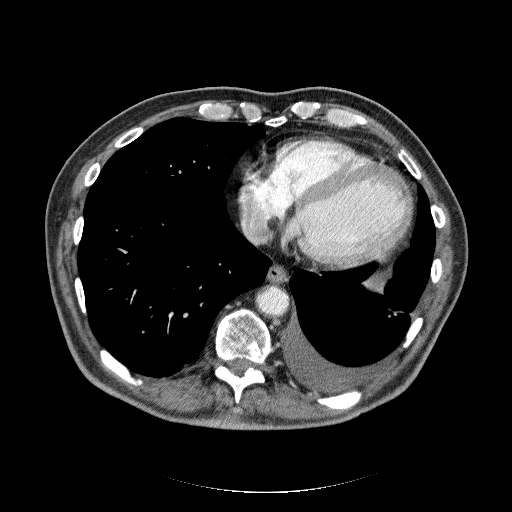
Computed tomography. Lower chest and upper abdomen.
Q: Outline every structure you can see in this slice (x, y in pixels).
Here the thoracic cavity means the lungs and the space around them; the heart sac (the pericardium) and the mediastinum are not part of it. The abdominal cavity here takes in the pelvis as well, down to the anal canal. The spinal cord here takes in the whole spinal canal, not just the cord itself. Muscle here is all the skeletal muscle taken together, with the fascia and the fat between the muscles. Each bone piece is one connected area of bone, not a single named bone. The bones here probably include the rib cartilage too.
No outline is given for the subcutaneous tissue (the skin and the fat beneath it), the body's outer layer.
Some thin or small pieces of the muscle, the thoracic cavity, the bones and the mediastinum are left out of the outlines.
A: Outlines:
pericardium: [[298,128],[367,140],[383,148],[394,160],[400,162],[414,187],[415,211],[409,231],[386,245],[373,259],[345,269],[315,269],[298,261],[294,256],[281,253],[275,247],[260,244],[249,238],[240,227],[236,215],[238,185],[252,160],[268,141],[288,130]]
bones 1: [[241,308],[247,308],[253,311],[265,322],[269,329],[275,349],[262,365],[265,382],[252,383],[246,386],[241,393],[239,403],[236,404],[234,393],[230,385],[216,377],[214,374],[214,366],[220,360],[216,356],[214,350],[213,338],[218,319],[225,314]] with a hole at [[237,358],[243,358],[244,359],[246,359],[250,361],[252,363],[253,363],[253,366],[250,366],[248,368],[247,368],[244,371],[242,375],[238,375],[234,373],[229,368],[228,366],[228,363],[230,361],[234,359],[236,359]]
bones 2: [[240,101],[246,101],[257,105],[262,111],[264,119],[281,114],[285,114],[288,118],[283,124],[275,127],[266,125],[262,121],[253,123],[247,122],[241,115],[237,118],[227,120],[207,120],[197,113],[197,108],[201,104],[207,102],[219,102],[236,106]]
bones 3: [[302,100],[303,101],[319,101],[323,104],[324,107],[337,107],[341,109],[345,109],[353,113],[359,114],[363,116],[369,122],[367,125],[346,128],[330,124],[324,120],[320,119],[318,116],[306,119],[302,119],[290,112],[288,109],[289,106],[294,102]]
bones 4: [[101,348],[104,348],[112,356],[113,356],[118,361],[123,364],[131,372],[133,376],[136,378],[139,378],[141,379],[142,380],[142,384],[140,385],[133,385],[125,381],[119,376],[115,374],[111,370],[104,366],[100,359],[100,356],[99,355],[99,350]]
bones 5: [[352,390],[359,390],[361,391],[362,395],[359,401],[349,408],[346,408],[345,409],[333,409],[332,408],[328,407],[326,405],[320,404],[317,401],[317,397],[318,396],[333,396],[334,395],[338,395],[339,394],[341,394],[345,392],[348,392]]
bones 6: [[401,147],[404,148],[404,149],[406,151],[406,152],[411,157],[411,158],[414,161],[414,162],[418,167],[418,168],[419,169],[419,170],[421,173],[421,178],[419,180],[417,180],[406,169],[405,166],[396,157],[395,154],[396,153],[396,152]]
bones 7: [[136,126],[142,126],[145,129],[145,130],[139,136],[138,136],[135,139],[134,139],[129,143],[126,144],[124,146],[123,146],[120,148],[118,148],[117,149],[114,146],[114,143],[125,132],[126,132],[131,128],[132,128],[133,127],[135,127]]
bones 8: [[418,316],[421,316],[423,318],[423,323],[420,329],[418,331],[418,332],[416,334],[416,335],[414,337],[414,338],[412,340],[410,344],[406,348],[403,348],[402,347],[402,343],[405,339],[405,335],[412,321],[414,320],[415,318]]
bones 9: [[77,276],[80,278],[80,280],[82,284],[82,287],[83,288],[83,292],[84,293],[84,296],[85,297],[86,315],[84,315],[81,311],[81,309],[79,306],[79,304],[77,300],[76,293],[75,292],[75,288],[74,287],[74,279],[75,277]]
bones 10: [[431,204],[436,204],[438,206],[439,206],[442,209],[442,210],[445,215],[445,224],[444,225],[444,226],[441,228],[436,228],[436,227],[434,224],[434,221],[433,220],[433,218],[432,217],[432,215],[431,214],[431,209],[430,208],[430,206],[431,205]]
bones 11: [[95,162],[98,162],[101,166],[101,167],[100,168],[100,170],[99,171],[99,173],[98,174],[96,179],[94,181],[94,182],[89,187],[86,187],[84,185],[84,177],[85,176],[85,175],[86,174],[86,172],[89,168],[89,167],[93,163],[94,163]]
bones 12: [[436,257],[438,257],[441,260],[441,264],[442,265],[442,272],[441,273],[441,274],[440,275],[440,277],[439,278],[439,279],[435,283],[433,283],[430,280],[430,270],[431,269],[431,265],[432,264],[432,262],[433,261],[433,259],[434,258],[435,258]]
bones 13: [[80,215],[82,215],[82,216],[83,217],[83,229],[82,230],[82,233],[81,234],[81,239],[80,240],[78,245],[77,246],[76,246],[74,244],[74,241],[73,240],[73,225],[74,224],[74,223],[75,222],[75,220],[77,218],[77,217],[78,217]]
mediastinum: [[295,116],[302,120],[321,120],[339,128],[361,128],[377,136],[398,160],[367,139],[304,127],[288,129],[268,140],[251,160],[235,191],[235,215],[243,233],[252,241],[275,248],[315,270],[343,270],[318,274],[296,268],[289,279],[295,303],[292,317],[272,336],[266,322],[247,307],[218,318],[220,311],[231,300],[263,282],[272,263],[235,227],[227,211],[224,188],[244,151],[265,134],[264,129],[245,122],[275,128]]
spinal cord: [[237,358],[243,358],[244,359],[246,359],[250,361],[252,363],[253,363],[253,366],[250,366],[248,368],[247,368],[244,371],[242,375],[238,375],[234,373],[229,368],[228,366],[228,363],[230,361],[234,359],[236,359]]
muscle 1: [[321,102],[352,107],[387,128],[418,161],[448,209],[452,281],[445,304],[421,348],[374,395],[348,412],[331,417],[287,419],[258,413],[237,415],[214,408],[177,411],[124,389],[99,368],[81,341],[61,293],[55,253],[78,172],[87,159],[129,128],[113,143],[116,150],[102,166],[95,161],[86,170],[83,185],[89,189],[82,214],[72,225],[78,272],[73,279],[74,292],[80,311],[103,347],[98,355],[104,367],[125,382],[140,386],[143,380],[132,372],[155,378],[171,376],[193,368],[213,348],[219,360],[213,366],[213,374],[229,385],[238,405],[246,387],[266,382],[263,365],[275,350],[286,371],[302,388],[321,395],[316,397],[320,405],[345,410],[360,401],[363,395],[360,388],[384,372],[394,351],[401,344],[403,349],[411,344],[424,323],[421,315],[416,316],[426,285],[429,280],[435,284],[443,272],[442,260],[434,257],[434,251],[436,229],[445,226],[446,215],[439,205],[430,203],[418,181],[422,173],[404,147],[392,153],[377,135],[358,127],[370,122],[363,115],[337,106],[324,106]]
muscle 2: [[212,99],[214,100],[233,99],[239,101],[236,105],[229,102],[219,101],[216,102],[207,101],[201,103],[196,108],[196,113],[204,119],[190,116],[175,116],[160,121],[147,129],[142,125],[133,126],[145,118],[172,106],[192,103],[200,100],[211,100]]
muscle 3: [[247,101],[250,101],[251,102],[255,102],[259,104],[262,104],[266,107],[267,107],[269,109],[270,109],[272,111],[281,110],[285,106],[290,104],[288,106],[287,109],[288,111],[290,113],[294,115],[294,116],[289,117],[289,116],[285,113],[281,113],[278,115],[275,115],[274,116],[270,116],[269,117],[264,118],[264,114],[261,108],[257,104],[253,102],[250,102],[249,101]]
thoracic cavity 1: [[175,117],[239,120],[264,130],[234,163],[223,195],[234,227],[271,263],[261,283],[239,293],[219,311],[213,347],[197,364],[171,375],[155,377],[131,371],[97,339],[88,321],[77,255],[84,229],[85,201],[101,168],[118,149],[152,126]]
thoracic cavity 2: [[418,183],[430,204],[435,244],[429,279],[404,339],[383,372],[359,389],[322,395],[302,387],[287,371],[272,337],[285,328],[294,314],[291,277],[296,269],[320,275],[375,262],[376,273],[362,285],[382,296],[385,283],[393,276],[396,259],[410,245]]
abdominal cavity: [[411,228],[409,245],[395,259],[393,263],[392,276],[384,283],[382,295],[364,286],[363,283],[367,279],[375,275],[379,267],[378,263],[375,261],[366,263],[373,260],[386,246],[391,244],[398,238],[401,238],[402,236],[407,234]]
torso: [[212,86],[263,92],[326,86],[360,94],[399,117],[423,142],[445,176],[467,228],[465,280],[418,375],[392,400],[329,426],[291,430],[217,429],[150,415],[90,383],[74,362],[58,320],[46,266],[44,218],[53,182],[73,151],[118,113],[158,94]]